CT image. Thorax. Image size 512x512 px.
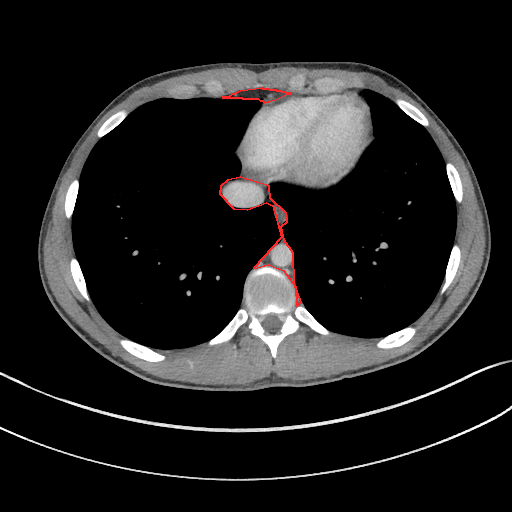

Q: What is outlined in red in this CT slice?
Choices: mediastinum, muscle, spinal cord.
A: red: mediastinum.
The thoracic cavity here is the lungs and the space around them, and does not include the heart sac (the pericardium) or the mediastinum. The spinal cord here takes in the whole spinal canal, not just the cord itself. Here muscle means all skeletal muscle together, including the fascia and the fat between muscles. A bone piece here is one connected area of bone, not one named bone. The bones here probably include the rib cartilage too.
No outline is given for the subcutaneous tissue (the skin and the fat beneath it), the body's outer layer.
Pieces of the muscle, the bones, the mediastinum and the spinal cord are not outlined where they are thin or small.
{"mediastinum":[[[296,305],[301,302],[294,283],[293,253],[284,240],[281,226],[287,221],[286,213],[270,198],[269,186],[240,177],[227,180],[220,186],[219,193],[233,208],[247,209],[266,202],[272,205],[281,237],[253,268],[268,264],[283,270],[295,286]],[[264,102],[275,99],[285,94],[291,93],[286,93],[285,92],[282,92],[281,91],[277,91],[276,90],[270,90],[269,89],[263,89],[262,88],[240,91],[234,94],[232,94],[229,96],[222,97],[241,97],[242,98],[257,98],[260,100],[262,100]]],"spinal_cord":[[[268,331],[276,331],[279,329],[279,328],[281,325],[281,321],[277,317],[277,316],[274,314],[269,314],[268,315],[267,315],[266,316],[265,316],[263,318],[263,320],[262,321],[262,324],[263,325],[263,326],[265,328],[265,329]]],"bones":[{"outer":[[274,359],[280,343],[304,326],[322,336],[329,336],[332,333],[302,304],[295,305],[294,286],[283,271],[273,266],[261,265],[251,270],[246,277],[243,293],[245,307],[239,309],[206,346],[212,347],[232,340],[245,325],[248,334],[259,338],[268,347]],"hole":[[268,331],[276,331],[279,329],[279,328],[281,325],[281,321],[277,317],[277,316],[274,314],[269,314],[268,315],[267,315],[266,316],[265,316],[263,318],[263,320],[262,321],[262,324],[263,325],[263,326],[265,328],[265,329]]},[[156,363],[158,362],[161,362],[165,360],[166,357],[161,353],[155,350],[153,350],[148,347],[140,345],[135,342],[133,342],[125,338],[122,338],[118,341],[119,342],[119,344],[127,352],[128,352],[130,354],[140,359],[145,360],[148,362],[155,362]],[[380,349],[390,349],[391,348],[394,348],[395,347],[399,347],[403,345],[405,343],[409,341],[412,338],[412,337],[415,334],[417,330],[417,327],[409,326],[397,332],[395,332],[385,337],[383,337],[382,338],[378,339],[376,343],[376,347]],[[441,294],[442,294],[452,283],[456,275],[456,273],[457,272],[457,270],[460,263],[460,248],[458,246],[458,245],[455,243],[452,247],[451,253],[449,257],[449,260],[447,264],[446,271],[445,272],[445,277],[444,278],[444,281],[439,291],[439,293]],[[326,93],[334,93],[335,92],[338,92],[339,91],[341,91],[344,88],[346,87],[346,85],[344,83],[344,82],[341,78],[339,78],[338,77],[334,77],[333,76],[322,76],[312,81],[312,83],[314,87],[315,87],[319,91],[321,92],[325,92]],[[87,301],[90,301],[90,298],[88,295],[88,293],[86,289],[85,281],[84,280],[82,272],[80,269],[79,264],[75,257],[73,257],[71,258],[70,262],[69,263],[69,267],[70,268],[71,276],[73,279],[75,286],[77,290],[79,292],[80,295]],[[457,203],[461,203],[463,199],[463,189],[462,188],[462,184],[461,183],[461,180],[460,179],[459,174],[456,168],[451,163],[447,162],[446,163],[446,171],[447,172],[447,176],[448,177],[448,179],[451,186],[451,189],[453,192],[453,195]],[[426,128],[429,125],[429,122],[427,118],[416,107],[415,107],[407,101],[405,100],[403,100],[402,99],[396,99],[394,101],[394,102],[399,107],[399,108],[401,109],[407,115],[408,115],[411,118],[412,118],[414,120],[415,120],[421,125],[422,125]],[[67,219],[70,219],[71,218],[71,216],[73,212],[73,209],[74,208],[74,205],[75,204],[75,200],[77,196],[77,191],[78,190],[78,186],[79,185],[78,179],[75,179],[71,182],[65,194],[65,200],[64,201],[64,214],[65,215],[65,217]],[[98,138],[100,138],[102,137],[104,135],[108,133],[111,130],[112,130],[116,126],[117,126],[128,115],[129,113],[125,110],[120,110],[116,112],[114,114],[113,114],[110,117],[109,117],[100,126],[100,127],[98,129],[96,133]],[[182,99],[183,99],[184,98],[190,98],[191,97],[193,97],[194,96],[197,95],[199,92],[199,89],[196,86],[195,86],[194,85],[180,85],[179,86],[174,87],[173,88],[168,90],[167,93],[171,97],[172,97],[173,98],[181,98]],[[217,97],[219,97],[220,96],[222,96],[224,95],[224,91],[223,90],[223,85],[222,84],[222,82],[220,80],[218,79],[212,79],[205,83],[200,84],[200,87],[201,88],[202,88],[207,92],[210,93],[211,95],[213,95]],[[292,89],[300,89],[302,87],[302,86],[304,84],[304,82],[305,81],[305,75],[298,75],[297,76],[294,76],[293,77],[292,77],[291,78],[290,78],[289,79],[288,79],[288,80],[287,81],[287,85],[290,88],[291,88]]],"torso":[[[206,393],[303,389],[395,367],[414,359],[438,340],[474,298],[491,251],[489,218],[478,180],[447,126],[392,74],[352,61],[217,62],[168,70],[148,76],[117,95],[70,150],[52,188],[38,236],[38,271],[48,300],[74,333],[113,364],[152,385]]],"thoracic_cavity":[[[160,350],[192,347],[216,335],[239,308],[246,275],[279,240],[280,230],[269,203],[247,210],[233,209],[218,193],[223,182],[240,172],[235,151],[247,124],[263,103],[257,99],[165,98],[146,103],[99,139],[84,164],[71,233],[91,301],[122,336]],[[365,339],[377,339],[411,325],[428,308],[443,281],[456,228],[456,203],[445,162],[432,138],[392,101],[369,90],[362,95],[370,109],[375,139],[345,180],[321,190],[270,185],[271,198],[288,215],[282,226],[294,253],[295,283],[302,303],[329,330]]],"muscle":[{"outer":[[205,385],[252,384],[265,378],[274,376],[284,378],[288,380],[310,380],[321,377],[329,377],[332,375],[336,375],[346,371],[356,370],[363,367],[367,367],[379,364],[385,361],[388,361],[411,351],[419,345],[448,319],[466,297],[477,278],[479,270],[481,267],[485,247],[485,232],[484,231],[483,220],[474,192],[473,184],[471,181],[468,170],[462,158],[454,148],[445,133],[433,118],[416,101],[405,92],[398,88],[389,85],[378,76],[363,71],[351,71],[346,69],[332,69],[331,68],[292,67],[291,66],[269,68],[260,72],[255,72],[252,70],[240,67],[214,68],[170,77],[151,85],[147,85],[137,89],[124,100],[108,111],[93,127],[90,133],[80,145],[74,154],[70,164],[61,179],[61,182],[58,188],[55,201],[50,214],[49,222],[44,239],[44,245],[43,246],[44,269],[46,273],[48,283],[54,296],[66,313],[92,338],[100,343],[114,356],[117,356],[121,358],[124,361],[133,365],[140,370],[155,377],[158,377],[162,379],[168,379],[169,380],[182,381],[197,384],[204,384]],"holes":[[[156,363],[166,358],[156,349],[183,349],[202,343],[212,347],[232,340],[243,325],[248,334],[268,347],[274,359],[280,343],[304,326],[322,336],[335,332],[377,339],[380,349],[409,341],[417,330],[411,324],[450,286],[460,263],[454,236],[462,184],[456,168],[443,160],[426,130],[427,118],[405,100],[393,102],[366,89],[344,90],[342,79],[333,76],[312,81],[326,95],[259,88],[223,97],[222,82],[212,79],[200,87],[216,98],[194,98],[199,92],[196,86],[180,85],[168,90],[172,99],[158,99],[130,113],[120,110],[109,117],[96,133],[99,140],[80,177],[65,194],[64,214],[71,220],[75,253],[69,267],[80,295],[124,337],[119,344],[130,354]],[[292,89],[300,89],[302,87],[302,86],[304,84],[304,82],[305,81],[305,75],[298,75],[297,76],[294,76],[293,77],[292,77],[291,78],[290,78],[289,79],[288,79],[288,80],[287,81],[287,85],[290,88],[291,88]],[[359,86],[362,86],[362,85],[363,84],[363,83],[361,81],[361,80],[358,77],[355,77],[354,78],[352,78],[351,79],[351,80],[352,81],[352,82],[353,82],[356,85],[358,85]]]}],"pericardium":[[[318,189],[333,186],[345,179],[359,163],[365,150],[374,139],[372,134],[371,118],[368,106],[363,97],[357,92],[326,95],[292,93],[266,102],[248,124],[243,138],[236,151],[242,164],[241,172],[239,175],[242,178],[266,185],[272,183],[288,183]]]}